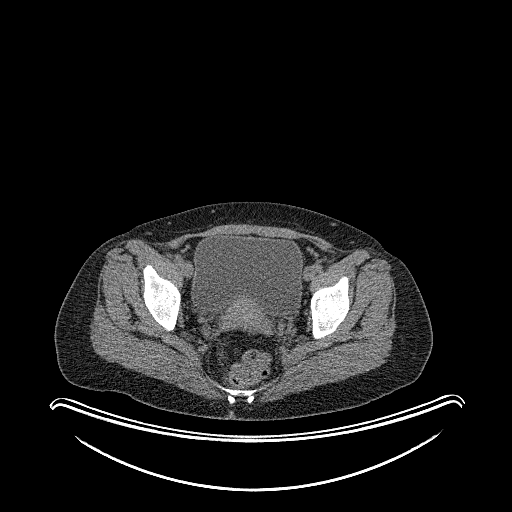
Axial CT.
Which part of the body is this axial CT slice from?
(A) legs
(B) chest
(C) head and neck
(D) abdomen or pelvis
Answer: (D) abdomen or pelvis
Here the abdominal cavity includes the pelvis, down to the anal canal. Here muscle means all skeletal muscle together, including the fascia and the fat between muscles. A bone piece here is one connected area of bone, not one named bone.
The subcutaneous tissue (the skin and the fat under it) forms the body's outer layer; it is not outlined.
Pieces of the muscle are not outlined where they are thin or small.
{"muscle":[[[231,223],[289,228],[321,237],[342,249],[363,248],[386,260],[391,266],[395,287],[396,324],[387,361],[343,380],[291,393],[281,399],[252,403],[255,393],[266,388],[264,385],[255,387],[280,371],[282,352],[303,339],[309,316],[311,336],[318,340],[337,329],[351,304],[347,275],[331,285],[310,290],[319,272],[339,257],[306,238],[257,233],[193,236],[177,247],[159,249],[178,264],[182,274],[181,292],[150,263],[141,270],[141,296],[147,310],[159,325],[171,332],[181,307],[185,331],[191,343],[202,352],[205,372],[221,383],[212,383],[227,394],[228,403],[186,391],[98,355],[90,340],[90,324],[98,297],[98,277],[109,250],[124,240],[164,242],[187,232]]],"torso":[[[230,201],[277,202],[317,211],[371,235],[399,258],[418,286],[433,332],[431,353],[419,377],[406,386],[360,406],[304,417],[250,421],[167,411],[122,393],[91,390],[66,380],[57,363],[54,327],[62,301],[89,255],[108,239],[141,223],[198,206]]],"abdominal_cavity":[[[216,234],[257,234],[306,239],[339,258],[324,270],[320,270],[311,281],[310,314],[302,339],[281,352],[279,371],[254,387],[227,386],[206,372],[203,352],[200,347],[192,343],[186,331],[181,306],[182,270],[178,263],[159,250],[177,248],[189,238]]],"bones":[[[344,275],[347,276],[349,279],[349,286],[348,287],[348,296],[350,301],[349,309],[344,319],[338,325],[336,329],[333,332],[321,338],[315,339],[312,336],[312,319],[310,313],[310,299],[312,293],[319,287],[324,287],[325,286],[331,286],[333,285]],[[147,264],[150,264],[161,277],[171,281],[176,285],[181,294],[180,307],[177,315],[176,324],[174,329],[171,331],[166,330],[154,319],[148,310],[145,304],[144,299],[142,296],[143,293],[143,286],[144,285],[144,280],[143,279],[143,273],[142,270]],[[213,383],[218,383],[225,387],[231,388],[248,389],[261,386],[264,386],[265,388],[254,393],[254,398],[251,403],[248,403],[244,396],[237,396],[235,398],[235,402],[231,404],[229,403],[227,399],[228,394],[225,391],[221,390],[215,386]]]}